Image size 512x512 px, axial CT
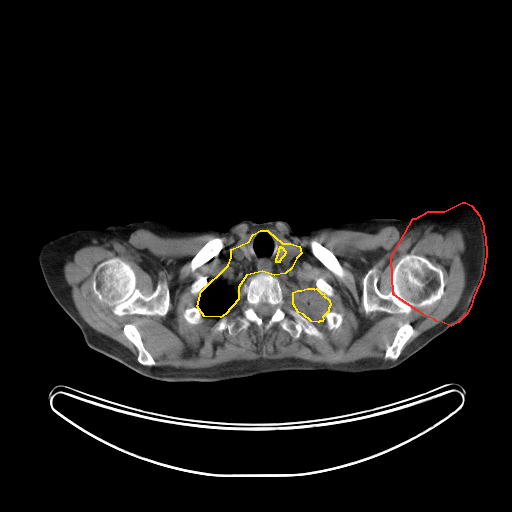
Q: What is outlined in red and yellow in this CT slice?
A: red: left arm; yellow: middle of the neck.
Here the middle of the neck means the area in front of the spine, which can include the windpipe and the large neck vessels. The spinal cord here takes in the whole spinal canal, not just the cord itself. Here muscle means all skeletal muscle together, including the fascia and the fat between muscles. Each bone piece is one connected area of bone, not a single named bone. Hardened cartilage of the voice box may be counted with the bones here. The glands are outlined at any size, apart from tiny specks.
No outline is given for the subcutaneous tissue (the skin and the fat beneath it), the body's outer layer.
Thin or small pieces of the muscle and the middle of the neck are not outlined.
Outlines:
left arm: [[462,202],[465,202],[471,205],[479,215],[483,226],[483,231],[485,237],[486,254],[483,274],[473,297],[471,305],[466,314],[458,322],[451,326],[442,322],[436,321],[434,319],[424,315],[393,294],[391,257],[413,218],[416,218],[428,211],[444,211]]
middle of the neck 1: [[260,230],[267,230],[282,243],[290,243],[299,246],[301,253],[296,258],[291,268],[285,273],[274,275],[262,271],[246,275],[238,287],[238,299],[225,314],[220,317],[204,316],[197,306],[201,291],[228,265],[231,257],[231,249],[249,241],[253,234]]; inner edge: [[280,246],[281,247],[282,247],[283,248],[283,249],[285,251],[285,253],[284,254],[284,255],[280,259],[280,260],[279,261],[279,262],[276,262],[276,258],[277,257],[277,255],[278,254],[278,252],[279,251],[279,248],[280,247]]
middle of the neck 2: [[307,288],[313,288],[314,289],[316,288],[321,293],[324,294],[323,295],[329,300],[330,305],[328,308],[328,311],[322,317],[323,319],[322,321],[319,321],[318,322],[311,321],[303,314],[298,312],[293,304],[293,292],[297,290],[301,290]]
thyroid glands 1: [[280,246],[281,247],[282,247],[283,248],[283,249],[285,251],[285,253],[284,254],[284,255],[280,259],[280,260],[279,261],[279,262],[276,262],[276,258],[277,257],[277,255],[278,254],[278,252],[279,251],[279,248],[280,247]]
thyroid glands 2: [[242,245],[246,245],[246,248],[247,249],[247,250],[248,251],[248,253],[249,254],[249,256],[250,257],[250,258],[251,259],[251,260],[249,260],[248,259],[247,259],[247,258],[243,254],[243,252],[240,249],[240,247]]
torso: [[370,218],[412,218],[390,257],[392,294],[450,326],[394,368],[355,373],[283,370],[211,382],[162,381],[90,348],[71,318],[119,304],[135,288],[141,271],[135,246],[117,225],[155,220],[181,229],[226,231],[243,220],[283,220],[295,233],[305,234]]
spinal cord: [[261,302],[263,302],[264,303],[267,303],[268,304],[273,306],[273,307],[274,308],[274,311],[271,315],[271,316],[269,318],[268,318],[265,320],[261,317],[258,316],[258,315],[256,313],[256,312],[254,309],[254,306],[257,305]]
right arm: [[111,225],[116,225],[134,246],[135,255],[140,268],[140,271],[134,288],[129,295],[119,303],[101,310],[83,315],[71,316],[70,317],[58,304],[48,289],[43,277],[38,260],[38,255],[40,248],[44,243],[49,240],[78,229],[82,228],[102,229]]
bones 1: [[408,254],[423,256],[442,270],[444,290],[440,299],[428,306],[414,307],[408,314],[388,313],[383,311],[365,313],[362,303],[363,278],[365,274],[371,268],[376,267],[380,271],[377,287],[380,292],[387,294],[392,290],[391,276],[394,267],[403,256]]
bones 2: [[262,272],[269,273],[279,280],[289,305],[307,318],[323,334],[322,338],[308,335],[303,331],[298,338],[294,338],[278,322],[263,332],[253,322],[247,328],[232,333],[226,329],[213,329],[222,316],[227,316],[229,321],[239,310],[238,290],[241,284]]; inner edge: [[261,302],[263,302],[264,303],[267,303],[268,304],[273,306],[273,307],[274,308],[274,311],[271,315],[271,316],[269,318],[268,318],[265,320],[261,317],[258,316],[258,315],[256,313],[256,312],[254,309],[254,306],[257,305]]
bones 3: [[114,257],[120,258],[130,265],[136,276],[136,286],[144,295],[151,294],[155,290],[157,283],[159,281],[166,281],[169,291],[169,306],[167,312],[164,315],[117,315],[112,312],[109,306],[100,301],[93,294],[91,289],[91,281],[97,266],[101,262]]
bones 4: [[311,239],[315,239],[317,240],[326,248],[330,250],[334,254],[334,255],[337,258],[341,266],[344,270],[345,276],[343,278],[343,279],[340,279],[335,274],[334,274],[329,269],[328,269],[312,253],[310,249],[310,246],[309,245],[309,242]]
bones 5: [[405,323],[409,323],[412,326],[415,332],[413,334],[413,335],[412,335],[405,343],[399,356],[395,360],[391,360],[390,359],[385,359],[384,356],[385,355],[385,352],[386,351],[386,347],[393,341],[393,339],[395,336],[395,334],[398,328],[401,325]]
bones 6: [[127,323],[132,323],[135,325],[135,326],[139,331],[139,333],[140,334],[143,345],[149,352],[149,353],[155,361],[155,365],[152,365],[151,366],[149,366],[148,365],[143,365],[138,362],[137,360],[138,350],[135,345],[126,337],[123,332],[123,328]]
bones 7: [[213,237],[221,237],[223,239],[223,247],[217,255],[212,257],[205,263],[204,263],[202,265],[201,265],[193,271],[191,271],[191,270],[190,269],[190,262],[191,261],[191,260],[194,257],[194,256],[197,253],[197,252],[211,238],[212,238]]
bones 8: [[193,306],[196,306],[197,307],[198,307],[202,313],[202,315],[203,316],[203,321],[200,323],[197,323],[196,324],[191,324],[190,323],[188,323],[184,319],[184,318],[182,315],[182,313],[183,312],[183,311],[185,308],[187,308],[188,307],[192,307]]
bones 9: [[329,311],[334,311],[338,313],[341,313],[343,315],[343,320],[342,321],[342,323],[341,325],[338,328],[336,328],[335,329],[334,328],[333,329],[328,329],[326,325],[326,321],[324,317],[325,315]]
bones 10: [[199,276],[205,276],[207,278],[207,280],[208,281],[208,283],[200,291],[199,294],[198,295],[196,295],[195,294],[194,294],[191,292],[191,291],[190,290],[190,288],[191,287],[191,285],[192,284],[192,283],[195,280],[196,280],[197,279],[197,278]]
bones 11: [[317,278],[323,278],[332,287],[332,288],[333,289],[333,294],[331,296],[327,296],[324,293],[323,293],[322,292],[321,292],[316,287],[316,286],[315,285],[315,281],[316,280],[316,279]]
muscle 1: [[277,223],[300,238],[333,230],[375,232],[388,225],[402,235],[421,226],[462,231],[467,277],[459,302],[402,352],[416,331],[409,322],[401,324],[385,347],[383,357],[390,360],[368,358],[330,365],[289,357],[233,360],[207,368],[158,366],[134,323],[127,322],[122,332],[136,348],[136,359],[126,347],[92,328],[75,308],[64,277],[64,264],[78,249],[112,239],[126,241],[138,229],[174,238],[227,234],[241,224]] with holes at [[260,230],[301,249],[287,272],[274,275],[289,305],[295,308],[293,292],[314,289],[316,279],[323,278],[333,289],[331,296],[325,296],[328,310],[343,315],[338,328],[328,329],[324,318],[311,322],[322,338],[303,331],[294,338],[278,322],[263,332],[251,322],[229,333],[213,329],[219,317],[204,316],[196,324],[184,319],[184,309],[196,306],[199,300],[190,290],[192,283],[199,276],[212,282],[228,265],[231,249]] and at [[408,254],[423,256],[442,270],[444,290],[440,299],[428,306],[414,307],[408,314],[388,313],[383,311],[365,313],[362,303],[363,278],[365,274],[371,268],[376,267],[380,271],[377,287],[380,292],[387,294],[392,290],[391,276],[394,267],[403,256]] and at [[114,257],[120,258],[130,265],[136,276],[136,286],[144,295],[151,294],[155,290],[157,283],[159,281],[166,281],[169,291],[169,306],[167,312],[164,315],[117,315],[112,312],[109,306],[100,301],[93,294],[91,289],[91,281],[97,266],[101,262]] and at [[311,239],[315,239],[317,240],[326,248],[330,250],[334,254],[334,255],[337,258],[341,266],[344,270],[345,276],[343,278],[343,279],[340,279],[335,274],[334,274],[329,269],[328,269],[312,253],[310,249],[310,246],[309,245],[309,242]] and at [[213,237],[221,237],[223,239],[223,247],[217,255],[212,257],[205,263],[204,263],[202,265],[201,265],[193,271],[191,271],[191,270],[190,269],[190,262],[191,261],[191,260],[194,257],[194,256],[197,253],[197,252],[211,238],[212,238]]
muscle 2: [[238,300],[239,300],[239,308],[238,309],[238,310],[237,311],[236,311],[235,312],[234,312],[233,313],[233,314],[234,315],[229,320],[229,318],[228,317],[228,316],[227,315],[224,315],[225,315],[235,305],[235,304],[237,302],[237,301]]